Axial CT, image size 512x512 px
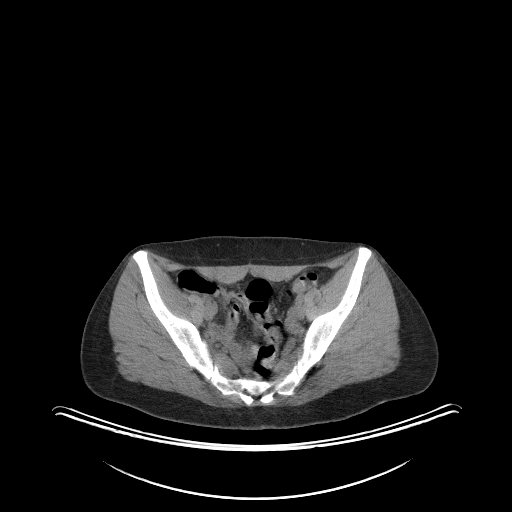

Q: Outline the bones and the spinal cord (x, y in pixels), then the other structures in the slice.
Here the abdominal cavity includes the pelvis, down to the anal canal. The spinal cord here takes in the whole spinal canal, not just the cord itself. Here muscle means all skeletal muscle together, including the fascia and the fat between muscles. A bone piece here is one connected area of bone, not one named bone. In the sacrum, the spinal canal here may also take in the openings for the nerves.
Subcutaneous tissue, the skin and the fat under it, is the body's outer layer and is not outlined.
A: bones: 360 246; 372 253; 359 293; 322 357; 292 395; 275 393; 264 404; 261 394; 251 394; 248 406; 236 394; 222 394; 188 364; 151 309; 132 258; 140 249; 147 252; 162 300; 196 326; 224 376; 280 380; 302 354; 312 320; 340 301
spinal cord: 251 395; 252 395; 253 395; 254 395; 255 396; 256 396; 257 395; 258 395; 259 395; 260 395; 261 395; 260 396; 259 397; 258 398; 257 399; 256 399; 255 399; 255 398; 254 397; 253 397; 252 396
torso: 211 235; 290 236; 327 241; 363 242; 373 246; 410 289; 430 321; 439 350; 438 368; 432 383; 418 394; 384 402; 344 420; 288 429; 259 430; 222 429; 164 420; 94 394; 86 386; 80 373; 81 336; 96 297; 122 258; 140 244
muscle 1: 372 251; 391 283; 396 301; 400 320; 399 344; 401 357; 399 365; 383 376; 344 385; 301 405; 249 406; 255 400; 268 405; 274 400; 275 394; 292 396; 295 393; 295 389; 307 373; 323 357; 352 311; 360 293; 364 272; 372 256
muscle 2: 131 255; 131 258; 138 268; 143 291; 150 309; 187 364; 197 371; 222 395; 236 395; 247 406; 235 408; 212 406; 176 392; 166 391; 139 382; 127 380; 118 372; 116 367; 115 354; 112 350; 112 340; 108 331; 108 317; 113 292
muscle 3: 355 247; 358 247; 356 259; 339 301; 335 306; 311 320; 306 317; 304 297; 310 290; 319 289; 333 275; 336 270; 334 268; 308 267; 282 280; 270 280; 247 273; 242 279; 234 282; 213 280; 193 268; 169 271; 167 273; 173 283; 182 292; 201 299; 203 313; 200 326; 175 314; 167 306; 160 294; 148 252; 144 249; 149 249; 158 255; 185 265; 241 265; 247 263; 295 265; 324 261
muscle 4: 209 348; 214 348; 215 349; 218 349; 228 358; 229 358; 235 365; 235 367; 237 369; 239 374; 241 376; 239 377; 235 377; 234 378; 231 378; 230 377; 228 377; 224 375; 220 371; 220 367; 219 365; 217 363; 214 362; 211 356
muscle 5: 300 345; 301 346; 301 354; 296 360; 295 363; 292 366; 290 370; 282 378; 280 379; 278 378; 276 379; 272 379; 272 374; 275 370; 275 368; 277 364; 283 358; 284 358; 288 354; 290 354; 298 346
abdominal cavity: 314 267; 335 270; 319 288; 310 289; 303 297; 305 317; 311 321; 301 345; 276 364; 271 379; 242 376; 229 357; 209 347; 197 327; 203 324; 202 299; 182 291; 168 273; 193 269; 213 281; 234 283; 247 274; 270 281; 288 280